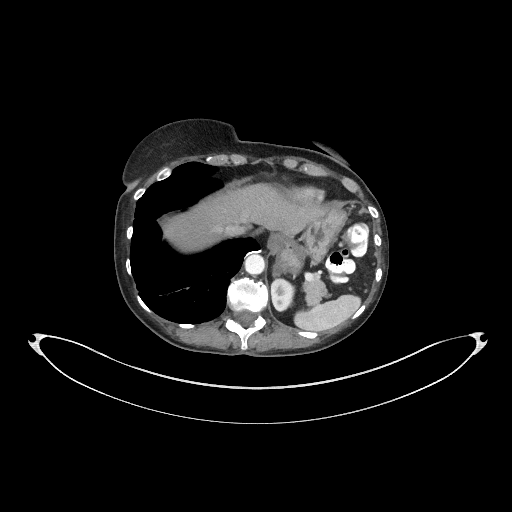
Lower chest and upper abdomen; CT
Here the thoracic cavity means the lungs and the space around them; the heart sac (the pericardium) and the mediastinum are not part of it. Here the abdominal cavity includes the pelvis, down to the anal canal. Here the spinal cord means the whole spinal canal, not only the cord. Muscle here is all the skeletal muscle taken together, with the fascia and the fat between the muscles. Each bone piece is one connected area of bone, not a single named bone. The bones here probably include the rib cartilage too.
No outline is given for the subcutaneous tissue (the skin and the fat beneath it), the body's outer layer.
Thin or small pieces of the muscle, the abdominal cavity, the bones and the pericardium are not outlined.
torso: 255 357; 325 349; 368 319; 389 271; 384 212; 351 163; 321 140; 310 139; 320 149; 315 150; 242 140; 231 123; 212 118; 168 122; 137 143; 122 171; 124 190; 117 201; 113 232; 114 268; 121 295; 135 317; 171 345; 194 352
pericardium: 308 201; 315 201; 316 200; 320 200; 321 199; 328 198; 327 196; 327 187; 319 181; 314 180; 309 177; 298 176; 297 175; 287 173; 286 172; 280 172; 284 178; 284 184; 289 193; 291 195; 297 198; 300 198; 303 200; 307 200
spinal cord: 246 327; 247 326; 249 326; 252 324; 252 323; 253 322; 256 315; 255 314; 255 313; 253 313; 250 311; 248 311; 247 310; 243 310; 242 311; 240 311; 239 312; 236 313; 236 314; 235 315; 235 319; 243 326; 245 326
thoracic cavity: 195 324; 223 311; 230 279; 245 254; 258 249; 259 244; 239 238; 200 254; 181 256; 161 241; 155 220; 159 215; 183 209; 223 183; 212 176; 215 165; 190 161; 176 166; 168 178; 154 182; 137 201; 130 259; 145 303; 166 319
bones 1: 242 350; 247 349; 248 337; 253 332; 261 329; 265 324; 261 313; 268 303; 269 293; 267 286; 262 281; 256 281; 245 276; 231 279; 227 289; 227 307; 233 315; 228 317; 225 322; 225 326; 229 330; 239 335; 241 339; 240 348, around a hole outlined by 246 327; 247 326; 249 326; 252 324; 252 323; 253 322; 256 315; 255 314; 255 313; 253 313; 250 311; 248 311; 247 310; 243 310; 242 311; 240 311; 239 312; 236 313; 236 314; 235 315; 235 319; 243 326; 245 326
bones 2: 234 165; 244 164; 247 162; 247 160; 244 156; 242 155; 239 155; 238 154; 234 154; 230 156; 226 154; 221 154; 216 156; 208 155; 205 158; 206 162; 210 164; 215 164; 216 163; 224 164; 225 163; 228 163; 230 161
bones 3: 315 176; 321 176; 325 174; 324 170; 320 167; 318 167; 315 165; 309 164; 308 163; 302 163; 301 164; 299 164; 295 160; 292 160; 291 159; 285 159; 283 161; 283 165; 288 168; 294 168; 298 166; 301 171; 307 174; 314 175
bones 4: 157 181; 158 180; 162 180; 163 179; 164 179; 165 178; 166 178; 167 177; 168 177; 170 175; 170 174; 171 173; 171 171; 172 170; 172 169; 169 167; 164 167; 163 168; 162 168; 156 174; 156 177; 155 178
bones 5: 353 193; 354 193; 355 192; 355 191; 356 190; 356 188; 355 187; 355 186; 353 184; 353 183; 349 179; 348 179; 347 178; 346 178; 345 177; 344 177; 343 178; 342 178; 341 179; 341 183; 348 190; 349 190; 351 192; 352 192
bones 6: 309 338; 313 338; 314 337; 316 337; 318 335; 318 332; 308 332; 307 331; 301 331; 300 330; 299 331; 298 331; 298 334; 299 335; 301 335; 302 336; 304 336; 305 337; 308 337
bones 7: 134 200; 137 200; 138 199; 139 199; 141 197; 141 196; 143 194; 143 193; 145 191; 145 190; 146 189; 146 188; 145 188; 144 187; 140 187; 139 188; 138 188; 134 192; 134 194; 133 195; 133 199
bones 8: 149 313; 150 313; 151 312; 152 312; 152 311; 144 303; 144 302; 141 299; 141 298; 140 297; 140 296; 138 294; 136 296; 136 298; 137 299; 137 300; 138 301; 138 302; 140 304; 140 305; 147 312; 148 312
bones 9: 353 319; 354 318; 356 318; 358 316; 359 316; 363 312; 363 311; 365 309; 365 305; 364 304; 362 304; 360 306; 360 307; 359 308; 358 308; 358 309; 357 310; 356 310; 356 311; 351 316; 351 318; 352 318
bones 10: 374 218; 375 218; 376 217; 377 217; 378 216; 378 211; 377 210; 377 209; 374 206; 372 206; 371 205; 369 205; 368 206; 368 210; 369 211; 369 213; 370 214; 370 215; 372 217; 373 217
muscle 1: 219 349; 240 349; 238 335; 224 326; 226 318; 232 315; 226 307; 217 318; 185 329; 154 312; 147 313; 137 302; 138 291; 124 265; 130 248; 125 229; 132 224; 136 205; 132 196; 123 225; 121 267; 137 308; 164 334; 188 344
muscle 2: 256 351; 311 346; 339 332; 356 319; 353 320; 350 318; 331 330; 319 333; 316 338; 309 339; 299 336; 297 334; 299 330; 278 320; 273 315; 268 304; 262 313; 266 320; 265 326; 261 330; 253 333; 248 339; 248 349; 254 349
muscle 3: 367 208; 367 206; 369 204; 373 205; 364 196; 364 194; 358 184; 352 179; 341 174; 339 174; 322 164; 299 156; 273 155; 267 157; 255 157; 246 154; 239 153; 230 153; 229 152; 198 154; 191 156; 184 156; 175 159; 162 167; 169 166; 173 168; 180 163; 190 160; 197 160; 205 162; 204 158; 208 154; 216 155; 221 153; 226 153; 229 155; 233 154; 234 153; 238 153; 242 154; 247 158; 248 160; 247 163; 251 164; 260 161; 266 161; 271 165; 275 164; 282 165; 282 161; 285 158; 291 158; 295 159; 299 163; 308 162; 320 166; 326 172; 326 174; 324 176; 322 176; 331 177; 340 183; 340 179; 342 177; 343 177; 345 176; 346 177; 349 178; 357 188; 355 194
muscle 4: 383 273; 385 264; 382 253; 383 241; 382 240; 382 229; 380 225; 379 214; 379 216; 377 218; 375 219; 372 218; 372 224; 374 233; 378 233; 381 236; 382 243; 378 247; 374 246; 374 255; 376 258; 376 267; 380 266; 383 270
muscle 5: 366 308; 367 308; 373 301; 374 297; 375 296; 375 294; 377 292; 378 288; 380 285; 381 280; 377 283; 373 281; 372 285; 370 288; 370 291; 368 293; 368 295; 364 300; 364 302; 363 303; 364 303; 366 305
muscle 6: 145 187; 148 187; 154 181; 155 181; 155 179; 154 178; 155 177; 155 174; 161 168; 160 168; 157 171; 156 171; 154 173; 153 173; 149 177; 148 177; 142 183; 142 184; 140 186; 144 186
abdominal cavity: 319 332; 348 319; 363 302; 373 280; 371 217; 359 200; 297 199; 286 190; 275 165; 271 170; 259 170; 224 182; 191 206; 157 218; 162 241; 181 255; 203 252; 228 239; 255 239; 261 244; 265 283; 274 315; 298 329
mediastinum 1: 225 182; 229 182; 235 179; 238 179; 240 177; 250 173; 256 172; 259 169; 265 169; 266 168; 267 169; 271 169; 273 166; 271 166; 266 162; 260 162; 251 165; 250 164; 245 164; 238 166; 217 166; 218 170; 213 176; 219 177
mediastinum 2: 264 282; 264 265; 263 264; 263 261; 262 260; 261 253; 260 252; 260 244; 260 248; 258 250; 253 250; 246 254; 244 257; 244 259; 240 269; 234 276; 235 277; 239 277; 240 276; 245 275; 246 276; 251 277; 256 280; 260 279
mediastinum 3: 357 199; 358 199; 357 197; 354 194; 348 191; 341 184; 331 178; 310 176; 301 172; 288 169; 281 165; 276 165; 280 171; 286 171; 298 175; 309 176; 314 179; 319 180; 328 187; 328 196; 329 197; 334 196; 335 197; 356 198